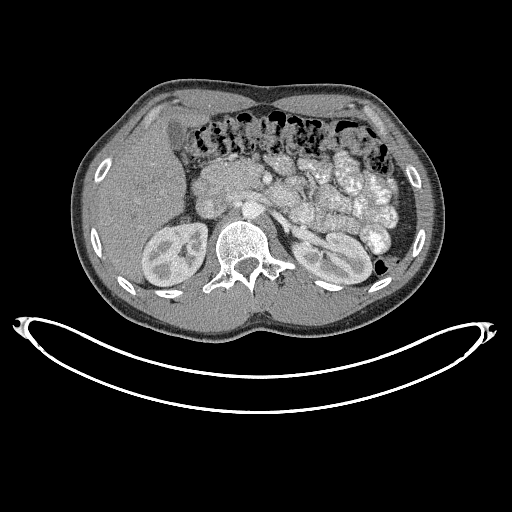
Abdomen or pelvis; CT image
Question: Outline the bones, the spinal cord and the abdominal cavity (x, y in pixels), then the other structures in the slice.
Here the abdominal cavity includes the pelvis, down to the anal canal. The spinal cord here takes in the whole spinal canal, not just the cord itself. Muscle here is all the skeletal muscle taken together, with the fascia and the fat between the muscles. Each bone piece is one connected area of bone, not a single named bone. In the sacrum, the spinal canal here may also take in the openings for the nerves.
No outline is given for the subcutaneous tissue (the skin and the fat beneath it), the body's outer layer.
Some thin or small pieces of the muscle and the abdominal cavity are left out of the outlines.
Answer: {"bones":[{"outer":[[252,296],[255,280],[260,274],[273,281],[283,270],[294,269],[296,266],[290,261],[277,259],[270,254],[268,239],[261,228],[249,221],[236,220],[225,224],[218,235],[215,252],[220,270],[202,290],[208,293],[218,286],[228,289],[238,280],[249,289]],"hole":[[244,275],[248,275],[248,274],[249,273],[250,273],[252,271],[252,270],[258,264],[258,261],[255,258],[247,258],[244,260],[242,260],[241,261],[238,262],[235,265],[235,269],[237,271],[238,271],[239,272],[242,273]]},[[95,183],[99,183],[103,179],[103,178],[107,173],[107,172],[112,163],[112,160],[113,159],[112,156],[108,156],[107,157],[106,157],[104,159],[103,159],[102,160],[102,161],[97,167],[97,168],[95,171],[95,173],[94,174],[94,182]],[[418,189],[420,189],[421,188],[421,179],[419,176],[419,174],[416,170],[416,169],[411,164],[410,164],[409,163],[407,163],[404,167],[404,172],[406,174],[406,175],[407,176],[410,183],[412,185],[412,186],[413,186],[415,188],[417,188]],[[383,135],[385,135],[386,134],[386,130],[385,129],[385,126],[382,120],[369,106],[367,106],[366,105],[363,106],[362,107],[362,110],[364,112],[364,113],[365,113],[366,115],[367,115],[368,117],[370,118],[373,123],[380,130],[380,132]],[[413,257],[415,257],[420,252],[420,251],[423,246],[423,244],[424,243],[424,240],[425,239],[425,231],[423,228],[420,228],[418,230],[418,231],[415,236],[415,239],[414,240],[414,242],[413,243],[413,250],[412,251],[412,256]],[[100,258],[103,258],[102,256],[102,250],[101,249],[101,244],[99,240],[99,237],[98,236],[97,231],[95,227],[93,226],[91,227],[91,230],[90,231],[90,239],[91,240],[91,243],[92,244],[92,246],[93,247],[93,249],[95,253]],[[145,128],[146,128],[147,127],[147,126],[153,120],[153,119],[157,115],[157,114],[163,107],[163,105],[162,104],[158,104],[157,105],[154,106],[151,109],[150,109],[148,111],[148,112],[144,116],[144,117],[142,120],[142,124],[144,126],[144,127]],[[167,298],[174,298],[175,297],[176,297],[177,296],[178,296],[179,295],[180,295],[181,294],[182,294],[182,293],[183,292],[181,290],[179,290],[178,289],[155,289],[154,290],[154,292],[157,295],[158,295],[159,296],[161,296],[162,297],[166,297]],[[368,292],[373,292],[376,290],[378,290],[379,289],[380,289],[381,288],[386,286],[390,282],[390,281],[392,279],[391,276],[388,275],[387,276],[386,276],[385,277],[384,277],[383,278],[382,278],[381,279],[376,281],[374,283],[373,283],[368,289]],[[133,295],[135,295],[135,294],[136,293],[136,292],[135,291],[135,289],[134,288],[133,285],[129,281],[128,281],[123,276],[122,276],[121,275],[117,275],[116,278],[117,279],[119,284],[124,289],[125,289],[128,292],[129,292],[131,294],[132,294]],[[332,291],[333,290],[339,290],[341,289],[343,287],[343,286],[340,286],[339,285],[336,285],[335,284],[331,284],[330,283],[328,283],[327,282],[325,282],[321,280],[318,280],[317,279],[315,280],[315,283],[317,285],[319,285],[327,290],[331,290]]],"spinal_cord":[[[244,275],[248,275],[248,274],[249,273],[250,273],[252,271],[252,270],[258,264],[258,261],[255,258],[247,258],[244,260],[242,260],[241,261],[238,262],[235,265],[235,269],[237,271],[238,271],[239,272],[242,273]]],"abdominal_cavity":[[[154,289],[175,288],[198,272],[211,238],[236,219],[253,222],[267,236],[273,231],[296,265],[316,279],[344,287],[371,284],[387,275],[413,242],[412,187],[379,130],[366,120],[264,105],[214,113],[174,102],[113,162],[96,200],[106,257],[134,285]]],"muscle":[{"outer":[[206,333],[219,333],[220,332],[229,331],[232,329],[237,328],[245,323],[254,313],[258,312],[263,313],[271,319],[279,321],[282,323],[290,323],[291,324],[305,325],[306,326],[318,326],[319,325],[324,325],[328,323],[331,323],[362,309],[368,304],[378,299],[391,294],[403,286],[419,269],[426,257],[427,251],[431,241],[433,216],[434,215],[434,202],[432,196],[431,185],[427,176],[425,168],[418,158],[416,153],[407,142],[402,133],[391,120],[389,116],[380,107],[376,105],[372,101],[360,97],[355,97],[351,95],[326,94],[325,93],[294,95],[293,96],[288,96],[280,98],[274,101],[256,101],[251,98],[239,94],[231,93],[230,92],[224,92],[219,90],[209,90],[208,89],[200,89],[199,88],[175,89],[172,91],[163,92],[157,94],[148,99],[96,154],[90,163],[85,174],[83,182],[83,188],[82,189],[82,197],[81,198],[83,237],[88,256],[96,273],[103,283],[114,295],[116,295],[121,298],[132,306],[160,320],[164,323],[168,323],[184,329],[188,329],[199,332],[205,332]],"hole":[[167,298],[182,294],[175,288],[203,267],[214,235],[220,270],[203,286],[206,293],[218,286],[228,289],[238,280],[252,296],[260,274],[273,281],[280,272],[297,265],[327,290],[367,284],[371,285],[368,292],[378,290],[390,282],[388,274],[412,243],[413,257],[423,246],[424,229],[415,233],[412,190],[413,186],[421,188],[419,174],[409,163],[403,170],[396,163],[381,136],[386,134],[382,120],[366,105],[362,110],[372,124],[352,116],[309,115],[264,105],[214,113],[181,102],[163,110],[158,104],[142,120],[144,133],[116,160],[108,156],[97,167],[94,182],[102,185],[90,239],[95,253],[103,258],[103,251],[120,273],[116,278],[124,289],[135,295],[135,284]]},[[293,262],[293,260],[292,258],[286,251],[285,248],[283,246],[281,242],[278,239],[277,236],[276,236],[273,232],[270,232],[268,238],[269,239],[269,248],[270,249],[271,254],[273,256],[277,258],[280,258],[281,259],[287,259]]],"torso":[[[209,343],[230,341],[259,330],[294,337],[350,331],[395,309],[425,280],[438,257],[445,231],[440,180],[420,143],[375,94],[343,83],[257,85],[207,78],[167,80],[141,94],[85,153],[72,184],[70,222],[76,253],[88,279],[126,319],[168,335]]]}